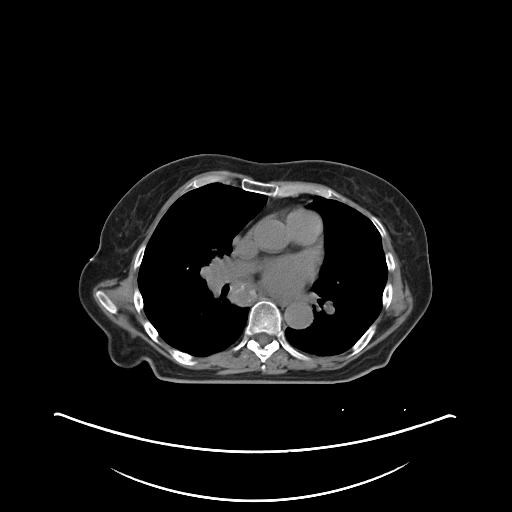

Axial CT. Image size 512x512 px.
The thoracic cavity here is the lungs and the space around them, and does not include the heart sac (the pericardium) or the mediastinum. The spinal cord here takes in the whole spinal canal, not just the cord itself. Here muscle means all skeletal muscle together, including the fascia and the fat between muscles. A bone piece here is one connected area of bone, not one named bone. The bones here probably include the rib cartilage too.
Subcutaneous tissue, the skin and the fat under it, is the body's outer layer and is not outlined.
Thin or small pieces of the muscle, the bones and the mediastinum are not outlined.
{"torso":[[[201,153],[227,154],[255,162],[303,159],[341,162],[382,177],[412,203],[426,232],[432,296],[424,314],[385,366],[333,384],[200,384],[162,380],[145,361],[123,368],[110,359],[106,336],[80,303],[80,273],[98,248],[108,214],[139,179],[165,163]]],"muscle":[{"outer":[[387,232],[405,273],[414,306],[407,318],[387,337],[335,370],[217,374],[212,370],[189,369],[183,367],[168,359],[115,324],[92,295],[92,288],[98,282],[125,278],[136,251],[132,265],[134,270],[138,269],[137,287],[132,295],[134,308],[138,313],[143,310],[147,318],[142,322],[146,334],[157,344],[161,343],[161,338],[171,346],[168,352],[170,356],[171,357],[178,364],[184,365],[185,366],[193,366],[198,363],[196,357],[207,357],[232,346],[234,352],[243,347],[252,351],[261,362],[262,371],[266,369],[267,359],[280,348],[305,362],[312,360],[306,354],[332,356],[348,350],[346,357],[350,358],[372,339],[377,328],[374,321],[382,307],[386,310],[392,301],[393,286],[387,279],[396,263],[393,254],[383,248],[382,239]],"hole":[[98,290],[101,290],[102,291],[103,291],[107,295],[107,296],[113,302],[113,303],[117,307],[117,312],[116,313],[112,313],[111,312],[108,311],[99,302],[98,299],[96,297],[96,296],[95,295],[95,293],[96,292],[96,291],[97,291]]},[[213,170],[227,170],[241,173],[251,178],[246,176],[242,177],[239,181],[239,185],[231,184],[231,180],[224,174],[208,174],[194,178],[183,187],[177,198],[167,208],[157,223],[147,243],[141,244],[148,228],[167,199],[181,185],[192,177],[198,174]],[[341,195],[350,199],[352,201],[355,202],[360,206],[365,208],[372,214],[370,214],[368,216],[368,217],[367,217],[361,212],[360,212],[357,209],[356,209],[355,208],[352,207],[350,205],[347,204],[346,203],[346,199],[345,198],[344,198]]],"spinal_cord":[[[259,333],[265,333],[266,334],[267,334],[271,338],[271,339],[270,340],[270,341],[268,343],[267,343],[266,344],[265,344],[264,345],[263,345],[262,346],[256,340],[256,339],[255,338],[255,337],[256,336],[256,335],[257,334],[258,334]]],"mediastinum":[[[234,277],[244,280],[261,292],[281,298],[303,294],[311,286],[313,293],[313,321],[310,325],[303,329],[295,329],[291,327],[286,327],[284,329],[282,327],[282,316],[280,310],[276,304],[269,299],[260,299],[250,307],[235,305],[229,298],[229,282]],[[300,194],[311,194],[313,195],[312,200],[305,206],[301,204],[288,205],[279,209],[272,210],[262,215],[242,235],[238,236],[235,239],[232,248],[232,241],[235,236],[262,209],[266,203],[267,196],[274,198],[284,198],[285,197],[293,197]]],"bones":[{"outer":[[263,299],[273,302],[278,308],[281,316],[281,327],[289,344],[298,351],[309,356],[311,360],[305,361],[298,359],[280,347],[266,359],[264,362],[265,369],[262,370],[262,362],[252,350],[245,346],[236,351],[232,349],[243,335],[250,308],[256,302]],"hole":[[259,333],[265,333],[266,334],[267,334],[271,338],[271,339],[270,340],[270,341],[268,343],[267,343],[266,344],[265,344],[264,345],[263,345],[262,346],[256,340],[256,339],[255,338],[255,337],[256,336],[256,335],[257,334],[258,334]]},[[245,177],[253,179],[256,181],[273,183],[279,186],[284,184],[307,184],[313,185],[316,187],[330,188],[345,199],[345,203],[336,199],[326,198],[323,196],[311,193],[300,193],[293,196],[274,197],[257,192],[247,191],[244,190],[240,186],[241,179]],[[208,175],[224,175],[230,180],[230,183],[229,184],[224,184],[221,182],[212,182],[211,183],[208,183],[207,184],[202,185],[199,187],[191,189],[180,195],[181,191],[188,183],[194,179],[197,179],[198,178],[200,178],[204,176],[207,176]],[[373,323],[375,323],[376,325],[376,328],[375,329],[375,332],[372,336],[371,339],[366,344],[366,345],[364,347],[363,347],[357,353],[354,354],[350,357],[347,357],[347,355],[351,351],[350,349],[351,347],[360,338],[360,337],[366,331],[366,330]],[[172,348],[177,349],[182,352],[184,352],[185,353],[187,353],[188,354],[190,354],[191,355],[192,355],[197,359],[197,363],[196,364],[194,364],[193,365],[185,365],[184,364],[180,364],[179,363],[178,363],[171,356],[171,355],[169,352],[169,350]],[[98,290],[101,290],[102,291],[103,291],[107,295],[107,296],[113,302],[113,303],[117,307],[117,312],[116,313],[112,313],[111,312],[108,311],[99,302],[98,299],[96,297],[96,296],[95,295],[95,293],[96,292],[96,291],[97,291]],[[387,282],[389,282],[390,283],[391,283],[391,285],[392,286],[392,297],[391,298],[391,301],[390,302],[390,303],[389,304],[388,307],[386,309],[385,309],[382,306],[382,296],[383,295],[383,291],[384,290],[384,288],[385,287],[385,286],[386,285]],[[145,320],[148,320],[157,331],[157,332],[158,333],[158,335],[159,336],[159,337],[158,338],[159,339],[159,341],[160,342],[160,343],[157,343],[156,342],[155,342],[147,334],[147,333],[145,331],[145,330],[143,327],[143,322]],[[137,288],[139,290],[139,291],[141,294],[141,296],[142,297],[142,300],[143,301],[143,309],[140,312],[138,312],[136,310],[136,309],[135,308],[135,306],[134,305],[134,302],[133,301],[133,295],[134,294],[134,291],[135,290],[135,289],[136,289]],[[142,244],[145,244],[146,245],[145,249],[144,250],[143,257],[142,258],[142,260],[141,261],[141,263],[139,267],[137,269],[134,269],[133,265],[134,264],[134,261],[135,260],[135,256],[136,255],[136,253],[137,252],[138,248]],[[370,215],[373,215],[374,216],[375,216],[381,222],[381,223],[385,228],[385,230],[386,231],[386,234],[383,238],[382,238],[380,233],[378,231],[378,230],[376,228],[376,227],[374,225],[374,224],[370,220],[370,219],[369,218],[369,216]],[[386,252],[390,252],[392,254],[392,256],[393,257],[393,259],[394,260],[394,262],[395,263],[395,267],[394,268],[394,269],[392,271],[388,271],[388,269],[387,268],[387,264],[386,263],[386,259],[385,258],[385,253]]],"pericardium":[[[294,205],[301,205],[310,210],[314,210],[319,214],[323,222],[324,257],[318,272],[317,278],[313,283],[303,293],[287,297],[281,297],[261,291],[244,279],[233,276],[229,264],[229,259],[236,239],[238,237],[242,236],[262,216],[272,211]]],"thoracic_cavity":[[[212,183],[239,186],[244,191],[264,195],[266,199],[261,209],[231,241],[228,264],[233,277],[228,282],[228,298],[235,306],[249,308],[242,335],[236,344],[223,350],[207,356],[194,356],[160,337],[144,311],[138,272],[147,244],[168,208],[185,193]],[[314,195],[344,203],[369,219],[381,237],[388,272],[381,296],[381,309],[373,322],[349,349],[332,355],[309,354],[298,350],[287,340],[284,330],[286,328],[303,330],[314,321],[312,286],[318,278],[325,257],[324,222],[317,211],[306,207],[313,200]]]}